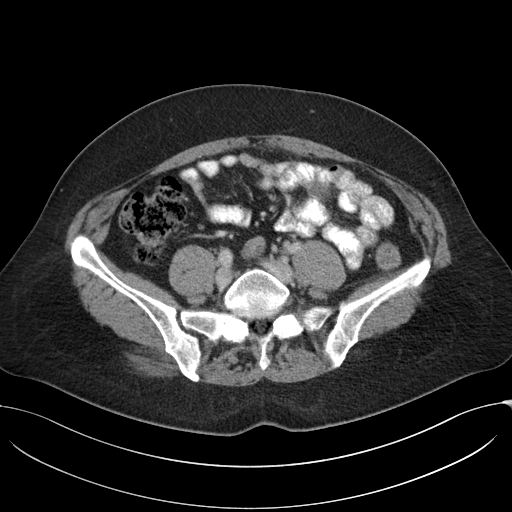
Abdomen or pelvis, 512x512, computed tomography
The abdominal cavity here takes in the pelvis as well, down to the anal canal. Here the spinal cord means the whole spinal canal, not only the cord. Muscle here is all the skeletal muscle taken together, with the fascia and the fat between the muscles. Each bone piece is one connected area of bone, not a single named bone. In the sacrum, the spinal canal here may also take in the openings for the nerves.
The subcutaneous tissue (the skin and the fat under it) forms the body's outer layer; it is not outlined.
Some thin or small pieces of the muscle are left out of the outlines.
The spinal cord is outlined by 262,317 271,317 272,318 272,321 270,324 270,326 267,328 267,329 266,330 266,331 263,334 262,334 261,335 259,335 257,333 256,333 254,331 254,330 252,328 252,324 253,323 253,320 254,319 260,319. The bones appear in 2 outlined pieces: piece 1: 78,234 91,240 124,283 178,312 223,311 234,280 260,268 288,287 288,310 329,306 333,313 319,329 270,341 264,370 255,341 215,342 187,329 201,351 199,380 192,381 165,351 144,310 73,262 70,244, around a hole outlined by 262,317 271,317 272,318 272,321 270,324 270,326 267,328 267,329 266,330 266,331 263,334 262,334 261,335 259,335 257,333 256,333 254,331 254,330 252,328 252,324 253,323 253,320 254,319 260,319; piece 2: 426,255 431,258 431,266 422,282 416,287 404,289 398,292 377,306 363,322 359,331 358,341 348,350 341,365 335,369 331,369 331,361 324,352 324,343 336,321 340,302 349,302 371,292 403,272. The abdominal cavity is outlined by 247,147 354,164 381,180 405,208 421,256 336,303 327,299 346,270 320,239 305,241 291,260 321,303 253,267 219,305 199,306 214,288 216,260 195,243 178,248 167,269 189,307 121,269 100,246 130,190. The muscle appears in 3 outlined pieces: piece 1: 247,134 282,134 309,139 373,165 411,185 437,208 446,229 451,263 428,278 425,290 421,293 422,301 407,322 376,337 366,355 344,361 349,350 359,341 362,326 370,314 398,293 418,287 431,269 432,258 428,254 415,261 422,256 422,248 410,230 406,208 399,198 384,181 357,164 327,157 309,157 275,148 247,146 198,157 152,175 130,189 109,218 107,233 99,247 121,270 132,272 153,282 171,294 184,308 189,308 191,305 172,287 168,277 172,257 178,249 191,244 209,250 215,260 213,288 205,301 198,306 219,306 223,302 223,310 182,308 178,311 173,305 119,278 102,260 94,243 85,234 78,233 69,244 70,257 76,266 88,270 143,310 157,328 163,340 164,351 173,358 183,376 156,378 130,372 121,360 123,347 119,338 110,328 100,325 85,310 72,286 71,266 64,251 67,229 86,202 103,191 192,146; piece 2: 309,240 329,244 345,270 345,280 326,299 327,304 340,301 323,343 323,352 333,370 288,383 265,378 245,386 199,382 197,370 202,351 199,339 187,330 215,343 255,342 260,353 257,362 264,371 271,362 267,355 270,342 319,330 334,313 329,305 313,305 299,313 288,309 291,295 316,304 323,302 312,298 309,286 298,281 292,260; piece 3: 406,266 409,266 408,266 403,271 394,277 391,278 389,280 384,282 371,291 355,299 353,299 349,301 342,300 343,300 357,287 363,284 366,280 370,279 374,276 378,276 379,275 386,274 390,272 393,272. The torso is outlined by 228,83 264,84 344,97 383,114 419,138 446,167 475,222 511,268 511,357 494,369 466,376 355,421 309,431 260,425 233,436 138,421 45,383 1,370 0,269 33,226 68,164 97,135 135,109 186,89.